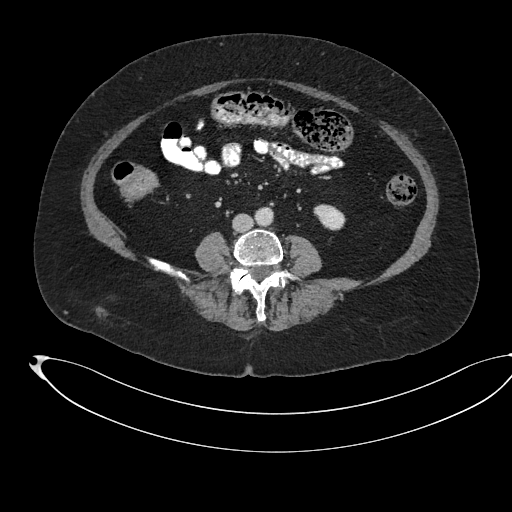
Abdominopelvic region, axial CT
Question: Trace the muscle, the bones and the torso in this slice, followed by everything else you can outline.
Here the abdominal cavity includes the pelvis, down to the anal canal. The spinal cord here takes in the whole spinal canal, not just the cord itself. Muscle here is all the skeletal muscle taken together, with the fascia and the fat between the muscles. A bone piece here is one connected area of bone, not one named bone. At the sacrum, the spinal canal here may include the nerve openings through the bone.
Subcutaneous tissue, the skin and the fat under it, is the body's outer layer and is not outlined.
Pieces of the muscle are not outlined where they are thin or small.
Answer: muscle: 247 77; 266 77; 267 78; 275 78; 276 79; 281 79; 287 81; 293 81; 294 82; 302 83; 305 85; 316 87; 331 94; 341 96; 347 101; 352 103; 359 108; 374 113; 395 128; 405 133; 413 145; 427 161; 435 179; 438 191; 438 197; 439 198; 439 207; 436 217; 436 224; 431 235; 431 246; 428 251; 418 261; 415 262; 404 271; 379 284; 366 286; 362 288; 356 288; 349 291; 346 291; 341 301; 341 303; 335 306; 320 318; 315 319; 304 324; 298 324; 280 331; 272 331; 264 328; 256 328; 247 331; 239 331; 232 329; 222 323; 208 321; 202 317; 200 317; 189 306; 184 297; 181 294; 179 288; 172 279; 157 272; 150 271; 143 267; 141 267; 128 259; 120 256; 104 244; 98 241; 91 235; 89 233; 80 203; 80 184; 85 168; 92 156; 97 151; 98 148; 117 130; 143 113; 152 110; 157 106; 179 94; 187 92; 190 90; 198 88; 203 85; 206 85; 210 83; 228 80; 229 79; 234 79; 235 78; 246 78 with a hole at 254 81; 359 114; 425 193; 408 247; 370 279; 311 277; 318 250; 289 234; 279 265; 299 279; 267 291; 264 321; 251 293; 231 287; 239 264; 221 232; 195 247; 203 271; 173 266; 186 282; 155 270; 94 195; 100 168; 141 123
bones 1: 255 228; 272 231; 277 235; 283 247; 283 259; 279 265; 299 278; 287 278; 283 288; 271 287; 267 291; 264 321; 258 321; 256 318; 257 302; 251 293; 244 290; 237 294; 232 289; 229 278; 232 269; 239 264; 232 254; 234 241, around a hole outlined by 253 266; 271 266; 272 267; 272 271; 270 273; 270 274; 269 275; 268 275; 267 276; 266 276; 264 278; 263 278; 261 280; 260 280; 259 281; 258 281; 256 279; 255 279; 252 276; 252 275; 250 273; 250 267; 252 267
bones 2: 147 255; 149 256; 152 256; 160 260; 165 261; 171 264; 175 268; 177 269; 180 269; 189 277; 190 279; 189 282; 186 282; 178 277; 176 277; 175 276; 172 276; 163 271; 161 271; 160 270; 155 270; 154 268; 146 260; 145 256
torso: 241 32; 312 36; 357 49; 403 75; 439 110; 463 159; 480 264; 479 288; 471 313; 449 339; 398 359; 322 374; 233 377; 202 374; 156 362; 69 326; 48 309; 34 272; 33 233; 46 168; 70 116; 100 83; 152 50; 188 39
spinal cord: 253 266; 271 266; 272 267; 272 271; 270 273; 270 274; 269 275; 268 275; 267 276; 266 276; 264 278; 263 278; 261 280; 260 280; 259 281; 258 281; 256 279; 255 279; 252 276; 252 275; 250 273; 250 267; 252 267
abdominal cavity: 254 81; 359 114; 417 170; 425 193; 422 216; 406 250; 377 276; 311 277; 323 262; 307 238; 289 234; 283 246; 274 231; 259 227; 232 244; 219 231; 208 233; 193 252; 203 271; 184 268; 134 249; 98 207; 100 168; 141 123